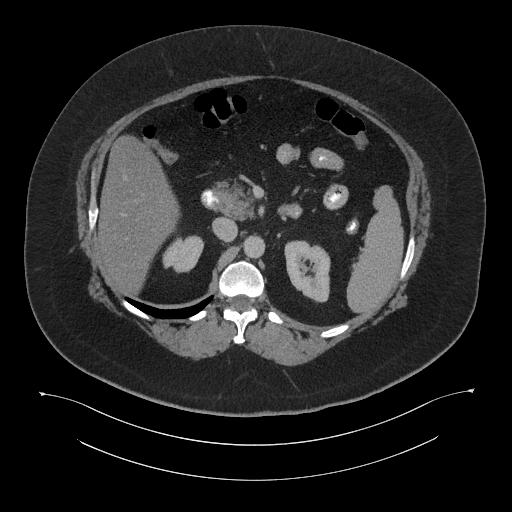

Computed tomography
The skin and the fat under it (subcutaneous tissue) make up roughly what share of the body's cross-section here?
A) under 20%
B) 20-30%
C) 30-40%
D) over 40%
D) over 40%
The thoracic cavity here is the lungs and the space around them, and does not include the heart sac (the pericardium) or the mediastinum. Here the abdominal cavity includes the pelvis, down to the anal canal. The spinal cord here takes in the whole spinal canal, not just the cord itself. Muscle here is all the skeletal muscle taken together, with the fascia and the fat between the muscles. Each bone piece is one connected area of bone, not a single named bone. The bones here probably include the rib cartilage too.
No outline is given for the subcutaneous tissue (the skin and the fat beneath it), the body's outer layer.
{"abdominal_cavity":[[[256,79],[286,80],[335,97],[389,135],[404,155],[409,169],[408,238],[399,274],[374,309],[334,325],[299,321],[271,303],[261,271],[244,259],[222,270],[213,296],[173,309],[123,297],[103,278],[96,253],[96,195],[116,136],[153,108],[216,86]]],"torso":[[[224,24],[300,27],[381,51],[438,86],[457,107],[474,138],[486,193],[475,309],[460,337],[437,359],[368,397],[317,411],[255,417],[163,405],[71,364],[47,340],[31,310],[23,265],[27,188],[37,153],[63,106],[92,73],[117,55],[161,36]]],"bones":[{"outer":[[240,260],[253,264],[260,271],[264,280],[264,289],[254,303],[258,311],[257,318],[246,325],[243,332],[244,342],[236,344],[233,341],[233,337],[237,333],[237,327],[233,321],[223,318],[222,312],[228,302],[219,291],[218,282],[223,270],[229,264]],"hole":[[237,295],[245,295],[246,296],[249,297],[251,299],[251,306],[249,308],[249,309],[247,309],[246,310],[244,310],[241,312],[239,312],[238,311],[237,311],[236,310],[233,309],[230,306],[230,299],[232,297],[234,297]]},[[410,234],[413,234],[414,236],[414,240],[415,241],[414,253],[413,254],[413,257],[411,263],[405,274],[405,276],[403,279],[399,279],[399,275],[404,260],[404,257],[406,253],[406,247],[407,246],[407,243]],[[92,193],[93,193],[95,195],[95,199],[96,200],[96,204],[97,205],[97,218],[96,219],[96,221],[95,222],[95,227],[94,228],[94,229],[91,232],[90,232],[89,231],[89,228],[88,227],[88,208],[89,207],[89,202],[90,201],[90,196]],[[345,322],[348,322],[349,324],[349,327],[342,333],[340,334],[338,334],[335,336],[332,336],[331,337],[329,337],[328,338],[326,338],[325,337],[322,337],[320,336],[320,333],[322,331],[324,331],[335,325],[337,325],[338,324],[341,324]],[[123,298],[124,298],[131,304],[132,304],[134,306],[135,306],[137,308],[138,308],[146,314],[151,316],[152,317],[152,319],[151,320],[148,320],[147,319],[145,319],[144,318],[139,317],[138,316],[131,313],[128,310],[127,310],[122,304],[122,299]],[[270,310],[271,310],[272,311],[274,311],[275,312],[276,312],[280,316],[280,317],[283,320],[283,322],[282,323],[276,323],[275,322],[273,322],[272,321],[271,321],[270,320],[269,320],[268,319],[268,318],[266,315],[266,313],[268,311],[269,311]],[[204,308],[205,308],[207,311],[207,312],[206,313],[206,315],[204,317],[203,317],[200,319],[198,319],[197,320],[189,320],[188,319],[187,319],[187,318],[188,317],[189,317],[190,316],[191,316],[192,315],[197,313],[199,311],[202,310]]],"spinal_cord":[[[237,295],[245,295],[246,296],[249,297],[251,299],[251,306],[249,308],[249,309],[247,309],[246,310],[244,310],[241,312],[239,312],[238,311],[237,311],[236,310],[233,309],[230,306],[230,299],[232,297],[234,297]]],"thoracic_cavity":[[[210,296],[212,296],[213,298],[205,307],[186,318],[160,318],[159,317],[154,317],[146,313],[125,298],[130,298],[132,300],[134,300],[142,304],[145,304],[148,306],[151,306],[154,308],[162,310],[173,310],[174,309],[186,308],[190,306],[193,306]]],"muscle":[{"outer":[[252,74],[253,75],[276,74],[288,77],[294,77],[298,79],[318,83],[339,90],[357,99],[375,110],[386,120],[390,126],[405,139],[421,158],[428,181],[428,186],[431,193],[431,219],[429,226],[429,235],[426,240],[426,245],[423,250],[416,270],[408,281],[408,284],[406,288],[406,292],[408,295],[408,303],[407,305],[404,307],[399,308],[389,314],[380,322],[369,329],[358,333],[354,333],[351,336],[338,342],[314,359],[306,363],[295,366],[284,366],[275,363],[271,360],[261,357],[259,355],[246,349],[241,345],[235,345],[215,356],[202,358],[196,361],[189,358],[179,356],[169,351],[159,344],[153,338],[148,336],[135,324],[125,318],[116,315],[113,312],[110,311],[103,303],[95,300],[88,294],[87,284],[91,274],[91,267],[88,258],[79,247],[78,233],[77,232],[77,221],[76,220],[75,180],[77,171],[80,166],[82,158],[91,144],[110,125],[120,117],[160,95],[165,94],[178,88],[184,87],[187,85],[207,79],[217,78],[218,77],[226,77],[230,75],[251,75]],"holes":[[[256,79],[286,80],[335,97],[389,135],[408,165],[405,204],[408,234],[415,241],[411,263],[377,307],[348,319],[349,327],[335,336],[320,336],[332,325],[305,323],[276,308],[265,288],[254,303],[258,316],[246,325],[241,344],[233,341],[237,327],[223,318],[228,302],[216,287],[200,319],[153,316],[148,320],[125,308],[122,294],[100,271],[96,230],[89,231],[88,208],[116,136],[153,108],[216,86]],[[270,310],[271,310],[272,311],[274,311],[275,312],[276,312],[280,316],[280,317],[283,320],[283,322],[282,323],[276,323],[275,322],[273,322],[272,321],[271,321],[270,320],[269,320],[268,319],[268,318],[266,315],[266,313],[268,311],[269,311]]]}]}